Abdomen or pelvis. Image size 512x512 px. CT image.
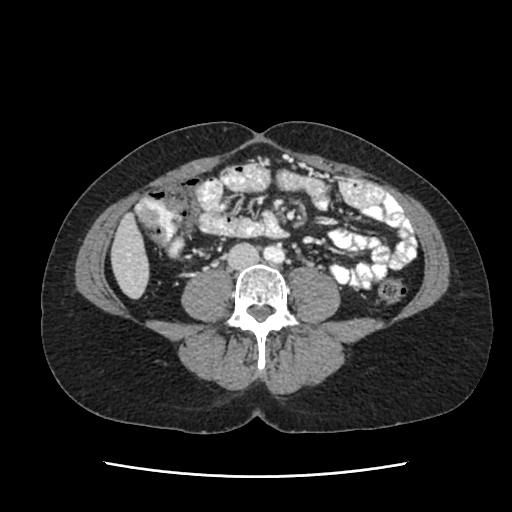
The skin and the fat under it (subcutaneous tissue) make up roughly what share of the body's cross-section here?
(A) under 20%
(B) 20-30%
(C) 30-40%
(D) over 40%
(D) over 40%
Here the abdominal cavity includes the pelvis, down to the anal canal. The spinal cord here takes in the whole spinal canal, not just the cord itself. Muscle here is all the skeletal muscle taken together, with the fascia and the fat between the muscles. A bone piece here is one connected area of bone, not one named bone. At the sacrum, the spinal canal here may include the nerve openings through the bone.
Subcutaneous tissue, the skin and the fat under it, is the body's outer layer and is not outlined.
{"torso":[[[193,434],[227,432],[255,417],[290,434],[375,430],[434,418],[460,406],[487,364],[494,328],[480,252],[449,200],[375,144],[303,120],[262,132],[231,121],[181,127],[143,143],[97,177],[64,217],[44,267],[40,336],[46,362],[66,395],[98,417]]],"bones":[{"outer":[[259,371],[265,365],[265,341],[267,336],[272,331],[277,332],[287,326],[299,324],[287,308],[288,287],[278,272],[264,265],[254,265],[238,275],[233,292],[234,310],[225,321],[225,324],[230,327],[249,331],[254,335],[258,347],[257,368]],"hole":[[258,321],[262,321],[263,320],[264,320],[265,319],[265,318],[273,311],[273,310],[271,308],[270,308],[267,306],[263,306],[262,307],[257,307],[256,306],[253,306],[252,307],[251,307],[249,309],[249,312],[250,313],[250,314],[251,314]]}],"abdominal_cavity":[[[181,324],[196,322],[180,296],[187,280],[224,269],[234,289],[237,275],[254,264],[273,268],[286,283],[294,267],[331,275],[340,304],[323,322],[388,320],[417,293],[423,255],[387,191],[253,143],[147,194],[109,243],[105,277],[128,311],[142,322]]],"spinal_cord":[[[258,321],[262,321],[263,320],[264,320],[265,319],[265,318],[273,311],[273,310],[271,308],[270,308],[267,306],[263,306],[262,307],[257,307],[256,306],[253,306],[252,307],[251,307],[249,309],[249,312],[250,313],[250,314],[251,314]]],"muscle":[{"outer":[[274,395],[287,395],[301,387],[313,387],[320,384],[342,365],[356,342],[432,306],[444,295],[449,286],[450,263],[447,248],[434,218],[418,200],[405,190],[356,166],[318,154],[295,152],[281,147],[268,138],[253,138],[229,152],[191,159],[140,184],[106,207],[92,223],[82,240],[75,261],[74,280],[76,290],[95,306],[150,329],[169,340],[173,344],[180,362],[195,375],[215,382],[227,390],[240,390],[259,380]],"hole":[[259,371],[267,336],[299,324],[287,308],[294,267],[337,282],[339,307],[323,322],[388,320],[423,280],[411,224],[387,191],[264,142],[147,194],[122,217],[105,261],[107,282],[142,322],[196,322],[185,282],[224,269],[234,290],[225,324],[254,335]]}]}